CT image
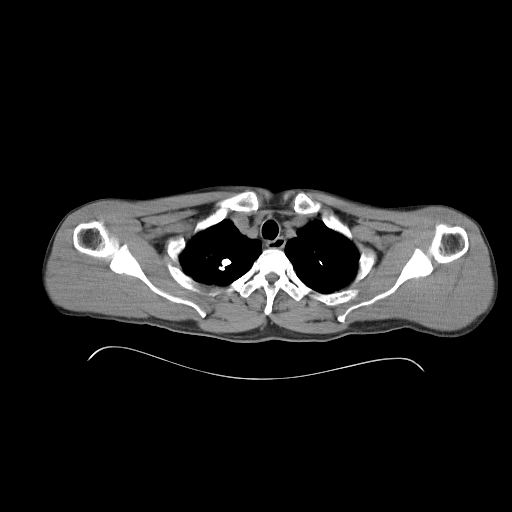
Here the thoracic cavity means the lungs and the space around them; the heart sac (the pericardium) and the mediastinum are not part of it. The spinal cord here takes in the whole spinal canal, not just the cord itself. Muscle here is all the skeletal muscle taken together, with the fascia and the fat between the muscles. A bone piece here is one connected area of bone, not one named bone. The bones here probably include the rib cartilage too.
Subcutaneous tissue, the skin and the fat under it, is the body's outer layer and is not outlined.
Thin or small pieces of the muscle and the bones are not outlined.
The left arm is outlined by (439, 203) (457, 208) (467, 213) (477, 220) (482, 227) (491, 246) (498, 272) (499, 291) (497, 300) (493, 309) (484, 321) (476, 329) (459, 337) (438, 337) (431, 334) (412, 330) (420, 291) (422, 286) (422, 282) (424, 277) (424, 273) (426, 268) (427, 246). The right arm is outlined by (104, 197) (121, 197) (121, 203) (122, 204) (122, 237) (121, 238) (120, 254) (118, 258) (112, 321) (98, 320) (88, 317) (78, 317) (62, 314) (55, 310) (49, 303) (41, 285) (40, 271) (43, 256) (47, 244) (57, 224) (61, 218) (69, 210) (85, 202). The muscle is outlined by (233, 188) (259, 188) (274, 194) (291, 190) (313, 191) (360, 205) (388, 210) (410, 211) (425, 207) (443, 207) (453, 210) (476, 225) (487, 248) (494, 281) (491, 302) (473, 322) (456, 330) (440, 330) (407, 319) (389, 318) (355, 322) (346, 329) (331, 333) (298, 332) (270, 322) (246, 331) (218, 333) (203, 330) (189, 321) (174, 321) (158, 317) (133, 318) (64, 308) (50, 295) (46, 284) (46, 268) (57, 232) (70, 214) (100, 201) (136, 202) with holes at (243, 191) (254, 191) (259, 203) (246, 214) (297, 215) (293, 198) (304, 192) (321, 203) (308, 216) (320, 220) (325, 210) (346, 224) (357, 250) (374, 253) (368, 273) (345, 288) (357, 288) (357, 295) (330, 306) (308, 295) (297, 301) (279, 289) (267, 315) (262, 287) (242, 297) (237, 291) (208, 295) (224, 287) (214, 284) (199, 282) (200, 292) (180, 285) (167, 268) (167, 263) (182, 268) (167, 252) (169, 240) (182, 236) (187, 242) (220, 200) and at (91, 220) (102, 220) (109, 235) (117, 238) (120, 244) (127, 245) (129, 251) (153, 285) (173, 296) (192, 301) (206, 315) (202, 317) (193, 307) (174, 302) (159, 295) (135, 276) (114, 272) (110, 268) (110, 262) (108, 260) (78, 251) (73, 245) (73, 230) (79, 223) and at (438, 223) (457, 225) (466, 231) (469, 244) (463, 255) (447, 263) (438, 263) (433, 259) (433, 269) (428, 275) (410, 278) (389, 295) (371, 304) (353, 309) (343, 322) (337, 320) (337, 316) (350, 306) (369, 300) (392, 287) (414, 249) (419, 248) (425, 252) (427, 250). The spinal cord is outlined by (271, 272) (273, 272) (274, 273) (275, 273) (278, 276) (278, 278) (276, 280) (275, 280) (273, 282) (272, 282) (271, 283) (270, 282) (269, 282) (267, 280) (267, 279) (266, 278) (266, 275) (267, 274) (268, 274) (269, 273) (270, 273). The thoracic cavity appears in 2 outlined pieces: piece 1: (316, 219) (321, 220) (329, 229) (337, 232) (349, 240) (351, 240) (359, 252) (357, 269) (353, 279) (345, 288) (337, 291) (325, 293) (318, 291) (307, 285) (297, 275) (293, 264) (284, 251) (287, 242) (290, 239) (295, 238) (298, 236) (298, 230) (310, 221); piece 2: (226, 218) (229, 219) (232, 222) (233, 225) (241, 234) (250, 239) (258, 240) (260, 242) (261, 251) (248, 270) (225, 286) (220, 286) (214, 284) (210, 285) (198, 282) (183, 271) (182, 266) (180, 263) (179, 256) (185, 248) (186, 243) (193, 235) (214, 225) (216, 225). The torso is outlined by (220, 184) (258, 185) (274, 190) (315, 188) (383, 206) (438, 203) (426, 246) (425, 268) (411, 329) (402, 328) (374, 334) (350, 334) (326, 342) (268, 340) (255, 343) (237, 343) (207, 336) (173, 332) (146, 324) (138, 325) (113, 321) (123, 237) (122, 197) (145, 198). The bones appear in 9 outlined pieces: piece 1: (271, 247) (285, 253) (296, 275) (310, 288) (325, 294) (357, 288) (357, 295) (348, 301) (330, 306) (308, 295) (297, 301) (279, 289) (268, 315) (264, 313) (266, 294) (262, 287) (255, 289) (247, 297) (242, 297) (237, 291) (208, 295) (243, 275) (262, 250), around a hole outlined by (271, 272) (273, 272) (274, 273) (275, 273) (278, 276) (278, 278) (276, 280) (275, 280) (273, 282) (272, 282) (271, 283) (270, 282) (269, 282) (267, 280) (267, 279) (266, 278) (266, 275) (267, 274) (268, 274) (269, 273) (270, 273); piece 2: (91, 220) (102, 220) (109, 235) (117, 238) (120, 244) (127, 245) (129, 251) (153, 285) (173, 296) (192, 301) (206, 315) (202, 317) (193, 307) (174, 302) (159, 295) (135, 276) (114, 272) (110, 268) (110, 262) (108, 260) (78, 251) (73, 245) (73, 230) (79, 223); piece 3: (438, 223) (457, 225) (466, 231) (469, 244) (463, 255) (447, 263) (438, 263) (433, 259) (433, 269) (428, 275) (410, 278) (389, 295) (371, 304) (353, 309) (343, 322) (337, 320) (337, 316) (350, 306) (369, 300) (392, 287) (414, 249) (419, 248) (425, 252) (427, 250); piece 4: (243, 191) (254, 191) (256, 193) (258, 197) (258, 202) (259, 203) (259, 206) (257, 210) (251, 212) (229, 210) (225, 218) (216, 224) (214, 224) (194, 234) (193, 233) (193, 231) (197, 222) (205, 218) (215, 211) (218, 208) (218, 202) (220, 200) (233, 194) (242, 192); piece 5: (299, 192) (304, 192) (308, 195) (309, 195) (314, 200) (320, 202) (321, 203) (321, 209) (318, 212) (313, 212) (312, 213) (308, 213) (307, 214) (298, 214) (296, 212) (295, 212) (295, 211) (293, 209) (293, 205) (294, 204) (293, 202) (293, 198) (294, 196) (297, 193); piece 6: (167, 263) (170, 263) (172, 265) (176, 267) (179, 267) (185, 274) (188, 275) (195, 281) (196, 281) (198, 283) (197, 287) (199, 289) (200, 292) (195, 292) (192, 290) (190, 290) (187, 288) (185, 288) (181, 285) (180, 285) (172, 277) (172, 276) (170, 274) (167, 268); piece 7: (323, 210) (325, 210) (328, 214) (329, 213) (333, 213) (342, 222) (343, 222) (347, 225) (347, 226) (349, 228) (351, 232) (351, 234) (352, 235) (352, 240) (351, 239) (349, 239) (341, 233) (337, 231) (335, 231) (329, 228) (323, 222) (323, 221) (321, 219) (321, 213); piece 8: (365, 249) (367, 250) (371, 250) (374, 253) (374, 263) (371, 267) (368, 273) (363, 278) (362, 278) (360, 280) (356, 282) (354, 282) (353, 281) (357, 273) (357, 270) (358, 269) (358, 262) (359, 261) (359, 258) (360, 257) (360, 253) (362, 250) (364, 250); piece 9: (179, 236) (182, 236) (186, 242) (185, 243) (185, 246) (184, 247) (184, 248) (178, 256) (179, 263) (177, 263) (176, 262) (175, 262) (170, 257) (170, 256) (168, 254) (168, 253) (167, 252) (167, 246) (168, 245) (169, 240) (170, 240) (171, 239) (176, 239). The mediastinum is outlined by (268, 211) (277, 211) (289, 215) (299, 216) (307, 215) (317, 217) (317, 218) (310, 220) (300, 227) (297, 230) (297, 236) (290, 238) (286, 242) (283, 250) (274, 246) (262, 249) (261, 242) (258, 239) (250, 238) (241, 233) (233, 222) (226, 217) (233, 212) (256, 214).